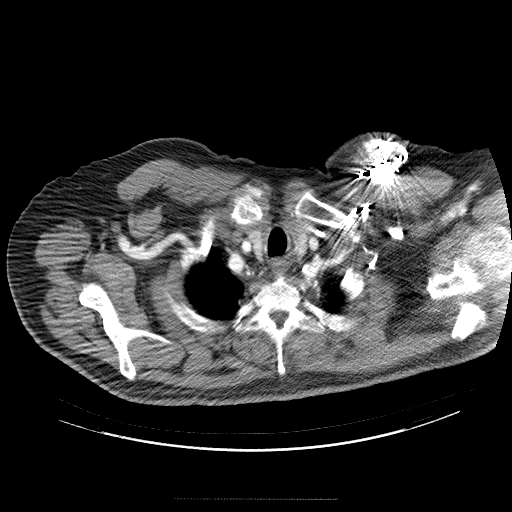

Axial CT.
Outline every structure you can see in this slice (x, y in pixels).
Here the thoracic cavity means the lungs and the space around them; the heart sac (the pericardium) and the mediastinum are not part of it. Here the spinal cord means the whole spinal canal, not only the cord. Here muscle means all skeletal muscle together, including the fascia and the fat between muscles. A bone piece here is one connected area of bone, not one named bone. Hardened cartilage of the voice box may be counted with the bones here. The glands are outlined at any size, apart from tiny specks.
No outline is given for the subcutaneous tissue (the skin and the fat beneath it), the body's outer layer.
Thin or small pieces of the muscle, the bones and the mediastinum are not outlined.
{"right_arm":[[[33,198],[52,200],[64,203],[71,207],[78,214],[82,221],[83,225],[83,240],[78,252],[67,262],[55,267],[33,271],[24,275],[18,275],[10,272],[6,268],[6,249],[7,248],[7,243],[13,224],[23,209],[27,205],[30,199]]],"mediastinum":[{"outer":[[273,220],[289,225],[307,225],[325,233],[324,256],[327,263],[325,274],[307,291],[298,290],[283,274],[271,280],[260,279],[247,285],[226,268],[216,246],[226,226],[233,226],[242,232],[247,232],[255,259],[261,266],[263,242],[262,231],[259,228]],"hole":[[293,229],[298,229],[299,230],[303,230],[306,232],[306,237],[307,238],[307,242],[306,243],[306,249],[305,250],[304,255],[299,261],[297,260],[296,258],[296,254],[294,253],[294,248],[295,247],[295,238],[291,231],[291,230]]}],"left_arm":[[[497,188],[502,188],[504,191],[504,195],[508,209],[508,216],[510,220],[508,225],[511,229],[511,279],[508,283],[510,284],[510,291],[508,297],[504,296],[497,291],[488,287],[475,275],[469,263],[464,244],[464,232],[467,221],[472,211],[489,191]]],"thyroid_glands":[[[293,229],[298,229],[299,230],[303,230],[306,232],[306,237],[307,238],[307,242],[306,243],[306,249],[305,250],[304,255],[299,261],[297,260],[296,258],[296,254],[294,253],[294,248],[295,247],[295,238],[291,231],[291,230]],[[254,229],[259,229],[261,231],[261,241],[262,242],[262,247],[261,248],[261,260],[262,261],[262,263],[261,265],[261,264],[256,259],[256,256],[254,253],[254,250],[253,249],[252,242],[249,239],[248,237],[248,232]]],"bones":[{"outer":[[279,275],[313,305],[357,319],[345,331],[326,327],[322,332],[300,328],[291,332],[282,345],[283,375],[277,372],[275,343],[266,332],[191,329],[172,311],[165,294],[205,317],[227,321],[251,299],[252,283],[264,284]],"hole":[[279,310],[280,311],[284,311],[287,313],[287,316],[286,317],[286,318],[284,320],[284,321],[280,326],[279,326],[275,322],[275,321],[274,320],[273,320],[271,318],[271,317],[270,316],[270,315],[271,314],[271,313],[272,313],[275,311],[278,311]]},[[481,224],[501,224],[505,226],[508,224],[511,232],[511,279],[508,283],[505,281],[490,283],[471,295],[451,296],[440,300],[432,300],[426,289],[427,278],[434,270],[441,273],[451,271],[453,267],[452,261],[461,253],[464,245],[463,242],[471,232]],[[89,282],[101,285],[106,291],[119,320],[125,326],[159,334],[172,343],[172,348],[169,349],[168,345],[161,345],[158,340],[146,336],[130,340],[127,348],[136,371],[133,380],[120,373],[118,353],[103,329],[103,320],[99,313],[79,301],[82,284]],[[304,191],[309,191],[314,197],[320,201],[325,202],[333,206],[348,216],[349,215],[349,217],[354,222],[349,228],[350,229],[349,230],[344,230],[342,228],[332,227],[315,222],[306,218],[298,218],[295,215],[292,215],[291,211],[293,209],[295,203]],[[459,300],[470,301],[475,304],[477,304],[479,305],[487,314],[486,324],[483,327],[476,330],[468,335],[461,341],[459,341],[456,339],[453,339],[450,336],[451,330],[454,325],[456,319],[455,318],[456,315],[459,311],[459,305],[457,303],[457,301]],[[246,183],[259,187],[263,190],[263,193],[259,197],[255,197],[254,196],[253,197],[261,206],[263,215],[260,220],[257,220],[251,224],[237,224],[230,218],[230,213],[232,211],[234,206],[234,198],[237,195],[242,195],[245,192],[243,189],[243,186]],[[210,216],[213,216],[214,218],[214,229],[213,230],[212,245],[209,252],[204,261],[194,264],[190,268],[189,271],[185,274],[182,270],[180,263],[182,250],[187,246],[191,246],[193,243],[195,245],[198,244],[201,237],[200,230],[204,222]],[[348,267],[352,267],[353,270],[355,272],[359,273],[362,276],[363,280],[364,281],[364,286],[363,287],[363,289],[361,291],[361,292],[355,298],[354,298],[352,300],[346,300],[345,295],[339,287],[339,283],[341,279],[345,274],[345,272]]],"muscle":[{"outer":[[158,158],[245,172],[275,187],[296,177],[439,169],[458,182],[446,206],[453,218],[480,224],[451,270],[434,269],[425,289],[440,301],[505,282],[505,316],[466,338],[488,314],[459,299],[449,333],[458,341],[421,357],[369,373],[305,371],[201,390],[134,380],[130,341],[173,343],[125,325],[107,291],[89,281],[77,298],[100,316],[118,373],[48,332],[33,252],[64,217],[81,220],[106,252],[125,246],[116,185]],"holes":[[[210,216],[213,246],[228,225],[247,232],[279,220],[322,230],[332,272],[342,277],[352,267],[363,278],[361,292],[345,298],[337,313],[356,324],[337,332],[295,329],[282,345],[283,375],[263,330],[191,329],[165,293],[193,307],[180,260]],[[304,191],[309,191],[314,197],[320,201],[325,202],[333,206],[348,216],[349,215],[349,217],[354,222],[349,228],[350,229],[349,230],[344,230],[342,228],[332,227],[315,222],[306,218],[298,218],[295,215],[292,215],[291,211],[293,209],[295,203]],[[246,183],[259,187],[263,190],[263,193],[259,197],[255,197],[254,196],[253,197],[261,206],[263,215],[260,220],[257,220],[251,224],[237,224],[230,218],[230,213],[232,211],[234,206],[234,198],[237,195],[242,195],[245,192],[243,189],[243,186]]]}],"thoracic_cavity":[[[212,246],[217,247],[219,254],[224,262],[225,268],[229,270],[240,281],[248,286],[248,292],[251,295],[249,300],[241,303],[239,305],[233,317],[227,320],[214,319],[205,316],[196,311],[193,308],[185,291],[186,275],[194,265],[202,263],[206,260]],[[328,263],[331,264],[331,270],[332,272],[337,277],[342,277],[338,283],[338,287],[344,295],[345,298],[343,304],[337,313],[336,312],[330,312],[327,311],[322,307],[313,304],[306,297],[306,296],[302,293],[307,292],[316,281],[322,279],[325,276]]],"spinal_cord":[[[279,310],[280,311],[284,311],[287,313],[287,316],[286,317],[286,318],[284,320],[284,321],[280,326],[279,326],[275,322],[275,321],[274,320],[273,320],[271,318],[271,317],[270,316],[270,315],[271,314],[271,313],[272,313],[275,311],[278,311]]],"torso":[[[368,130],[448,151],[488,148],[503,188],[473,208],[463,244],[474,275],[508,298],[489,352],[301,399],[160,406],[109,393],[24,327],[6,269],[24,276],[55,268],[84,240],[71,206],[31,198],[55,177],[170,136],[268,166],[323,171],[338,145]]]}